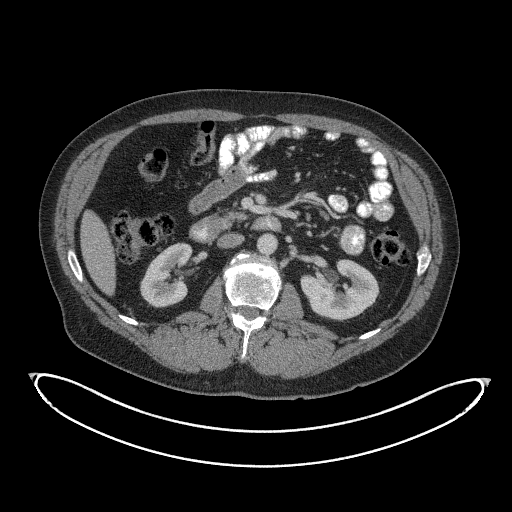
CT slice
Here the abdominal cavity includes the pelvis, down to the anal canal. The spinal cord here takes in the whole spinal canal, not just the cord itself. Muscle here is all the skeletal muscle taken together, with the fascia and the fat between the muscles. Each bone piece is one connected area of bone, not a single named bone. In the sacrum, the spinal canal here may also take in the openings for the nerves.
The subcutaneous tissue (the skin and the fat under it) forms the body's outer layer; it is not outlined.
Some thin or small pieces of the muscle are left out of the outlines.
{"torso":[[[263,400],[311,399],[346,392],[392,375],[428,347],[441,323],[459,261],[457,215],[446,177],[427,150],[397,123],[372,108],[338,97],[199,88],[152,95],[123,105],[86,127],[64,147],[42,190],[39,243],[64,330],[81,350],[156,384],[193,394]]],"muscle":[{"outer":[[282,379],[302,379],[319,374],[380,345],[400,331],[429,298],[442,259],[443,243],[438,203],[431,181],[424,170],[408,155],[391,146],[379,136],[362,126],[337,118],[307,113],[243,114],[212,108],[179,110],[142,119],[125,128],[105,134],[87,145],[70,164],[60,187],[54,215],[54,239],[57,254],[68,281],[96,319],[102,325],[132,342],[152,359],[177,373],[209,374],[224,371],[236,363],[245,363],[262,375]],"hole":[[241,360],[284,280],[296,287],[304,319],[365,339],[426,270],[429,248],[387,159],[364,137],[271,118],[199,120],[142,126],[108,156],[76,221],[76,250],[67,251],[75,277],[84,275],[122,320],[138,325],[198,309],[221,275],[228,316],[243,332]]}],"bones":[{"outer":[[241,360],[246,357],[247,341],[250,333],[254,329],[260,328],[268,320],[267,312],[277,299],[282,287],[282,281],[276,263],[270,258],[258,256],[255,253],[249,252],[239,252],[232,257],[222,274],[224,291],[232,307],[228,316],[233,325],[243,332]],"hole":[[247,319],[252,319],[253,318],[254,318],[256,316],[257,316],[258,315],[259,315],[260,314],[260,311],[257,308],[256,308],[255,307],[249,307],[248,306],[240,306],[239,307],[238,307],[236,310],[238,312],[239,312],[243,316],[244,316]]},[[417,276],[420,276],[423,273],[424,273],[431,259],[431,254],[429,251],[429,248],[426,244],[426,243],[422,243],[420,244],[416,252],[416,257],[417,258],[417,267],[416,268],[416,274]],[[80,282],[82,282],[83,281],[83,275],[82,274],[81,267],[78,261],[78,259],[75,253],[75,251],[72,248],[69,248],[67,251],[67,258],[68,259],[68,262],[69,263],[69,265],[75,277],[78,280],[78,281]],[[133,325],[138,325],[139,324],[138,321],[137,321],[134,318],[132,318],[129,316],[127,316],[126,315],[125,315],[124,314],[122,314],[121,313],[119,313],[118,314],[118,316],[122,320],[123,320],[127,323],[129,323],[130,324],[132,324]],[[359,339],[365,339],[366,338],[368,338],[369,337],[370,337],[371,336],[374,335],[376,333],[377,333],[380,330],[380,327],[377,327],[376,328],[374,328],[372,330],[370,330],[367,332],[365,332],[364,333],[361,334],[358,337],[358,338]]],"abdominal_cavity":[[[340,336],[359,335],[395,314],[416,267],[417,234],[387,159],[368,140],[253,118],[142,126],[114,147],[75,226],[83,273],[102,297],[139,321],[168,321],[198,309],[202,294],[231,257],[249,251],[277,263],[282,280],[291,282],[300,295],[304,319]]],"spinal_cord":[[[247,319],[252,319],[253,318],[254,318],[256,316],[257,316],[258,315],[259,315],[260,314],[260,311],[257,308],[256,308],[255,307],[249,307],[248,306],[240,306],[239,307],[238,307],[236,310],[238,312],[239,312],[243,316],[244,316]]]}